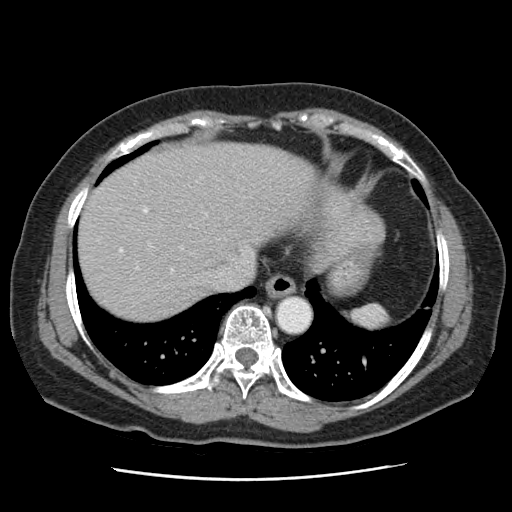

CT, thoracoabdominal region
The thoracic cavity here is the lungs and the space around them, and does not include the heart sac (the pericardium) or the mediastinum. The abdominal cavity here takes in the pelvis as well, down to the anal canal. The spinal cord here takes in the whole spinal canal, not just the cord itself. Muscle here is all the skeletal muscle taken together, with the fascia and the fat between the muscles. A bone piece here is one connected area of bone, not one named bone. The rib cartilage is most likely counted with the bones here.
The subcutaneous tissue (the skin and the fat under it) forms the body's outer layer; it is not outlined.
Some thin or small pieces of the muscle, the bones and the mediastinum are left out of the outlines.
The spinal cord is outlined by 241,348 250,348 251,349 252,349 257,354 257,356 258,357 257,358 257,359 252,364 251,364 248,367 245,367 245,366 242,363 241,363 236,358 236,352 239,349 240,349. The thoracic cavity appears in 4 outlined pieces: piece 1: 437,254 438,287 429,319 406,361 380,389 356,399 330,401 308,394 292,381 283,364 282,348 302,336 313,323 314,309 305,294 308,281 316,280 321,297 348,323 367,331 379,331 404,322 420,307 432,281; piece 2: 77,220 77,261 87,293 102,310 124,322 161,322 210,296 236,293 244,288 254,287 254,295 240,297 222,316 220,336 214,342 209,357 196,372 170,383 146,384 125,374 96,347 85,327 76,290 72,236; piece 3: 153,140 157,140 157,143 152,145 148,149 139,155 137,155 135,157 116,167 108,173 107,175 106,175 101,181 99,182 99,183 95,184 95,181 102,170 110,162 122,156 131,153 134,150 137,149 142,145; piece 4: 412,178 414,178 416,179 421,185 425,193 425,195 427,198 427,200 428,201 428,204 429,205 429,208 426,207 426,206 423,203 422,200 420,199 418,195 414,191 412,187 412,184 411,183 411,180. The abdominal cavity is outlined by 286,125 329,132 336,148 369,150 375,168 400,166 411,178 431,214 437,253 427,293 409,317 379,330 353,325 294,258 269,254 255,266 252,283 161,321 124,321 94,301 77,250 78,217 94,183 162,137. The bones appear in 7 outlined pieces: piece 1: 235,304 253,304 262,310 272,330 273,340 281,348 281,360 287,375 299,389 313,398 312,402 277,392 270,374 257,379 243,399 240,386 227,370 211,390 151,391 152,386 185,379 204,365 221,336 226,315, around a hole outlined by 241,348 250,348 251,349 252,349 257,354 257,356 258,357 257,358 257,359 252,364 251,364 248,367 245,367 245,366 242,363 241,363 236,358 236,352 239,349 240,349; piece 2: 303,113 323,113 334,117 336,123 345,121 381,135 397,147 403,149 409,155 422,171 426,179 426,185 423,186 416,178 411,177 405,169 367,141 353,136 340,134 332,126 323,129 306,127 305,124 297,118; piece 3: 203,116 224,119 226,121 218,129 192,126 189,128 189,131 185,133 166,135 150,140 129,153 122,155 109,162 106,161 107,156 121,142 134,137 140,132 145,131 154,126 165,125 175,122 185,123 191,118; piece 4: 427,325 432,326 433,329 432,330 432,334 430,340 420,359 410,373 390,393 382,399 370,405 368,407 362,409 351,409 350,408 351,406 362,403 373,396 379,390 380,390 403,366 415,349; piece 5: 72,266 72,269 75,278 75,290 77,295 77,302 79,306 79,311 84,327 86,330 86,333 92,343 92,345 94,348 94,351 83,340 72,317 67,302 65,285 66,284 66,278 67,277 68,270; piece 6: 438,229 441,230 446,240 447,243 447,249 448,250 448,256 449,257 448,277 447,278 446,287 444,291 441,290 438,291 438,288 439,287 439,262 438,261 438,250 437,249 437,240 436,239 436,231; piece 7: 86,184 89,185 89,189 87,193 87,196 85,198 83,205 81,207 81,209 79,212 79,214 77,217 77,219 74,224 73,228 72,229 69,228 68,227 67,219 68,218 68,212 69,211 71,202 79,190. The muscle is outlined by 307,107 329,108 365,121 399,142 408,153 368,128 345,120 336,122 334,116 323,112 303,112 296,118 304,126 283,125 278,118 270,126 257,126 255,121 248,121 247,126 219,129 227,121 208,115 158,124 121,141 106,156 108,163 91,187 86,183 72,198 66,219 67,227 72,230 72,265 67,270 64,291 82,340 93,352 93,344 132,380 153,385 149,389 157,394 211,391 227,371 239,386 243,400 257,380 270,375 277,393 306,403 312,403 314,398 351,401 375,393 349,407 351,410 368,408 390,394 421,359 433,334 433,326 427,324 432,306 438,292 444,292 448,283 448,243 442,230 435,229 423,188 427,179 415,160 455,218 472,272 471,322 461,346 392,401 311,432 280,430 245,415 200,424 163,417 98,387 50,354 39,338 36,313 45,263 52,249 55,220 68,193 99,154 132,133 190,110 267,117 278,111. The torso is outlined by 286,81 345,87 402,113 435,144 490,218 502,244 506,282 495,345 471,394 393,432 349,444 311,448 163,441 139,431 94,423 47,403 24,365 9,321 13,256 29,204 45,176 86,130 142,98 195,85. The mediastinum appears in 2 outlined pieces: piece 1: 268,255 291,257 302,268 304,275 312,279 306,282 304,293 313,309 312,323 302,335 286,342 282,347 275,342 270,322 258,305 253,303 235,303 229,310 231,306 240,298 251,298 255,295 255,287 247,286 255,280 256,266; piece 2: 332,134 339,134 343,136 353,137 367,142 377,148 389,158 392,162 398,165 387,165 385,167 375,167 372,158 372,152 370,151 369,149 360,149 357,147 355,147 352,149 340,149 334,145 331,136.